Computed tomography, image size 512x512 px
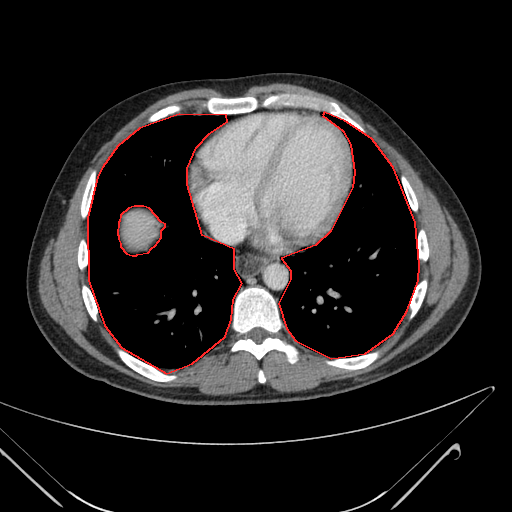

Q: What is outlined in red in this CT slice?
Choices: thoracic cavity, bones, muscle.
A: red: thoracic cavity.
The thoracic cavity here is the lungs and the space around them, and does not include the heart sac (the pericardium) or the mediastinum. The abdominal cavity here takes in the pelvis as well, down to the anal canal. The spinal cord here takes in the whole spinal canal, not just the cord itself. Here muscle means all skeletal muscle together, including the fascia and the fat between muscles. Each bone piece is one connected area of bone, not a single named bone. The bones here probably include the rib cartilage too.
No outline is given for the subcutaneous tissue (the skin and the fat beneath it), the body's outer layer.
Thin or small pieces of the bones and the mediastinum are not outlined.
thoracic cavity 1: (166, 373) (192, 363) (225, 336) (231, 319) (233, 299) (242, 283) (234, 269) (234, 249) (202, 235) (187, 184) (187, 168) (196, 147) (209, 133) (227, 121) (226, 115) (179, 114) (139, 128) (117, 146) (102, 167) (97, 176) (87, 218) (88, 280) (104, 325) (121, 347), around a hole outlined by (132, 255) (136, 255) (137, 254) (148, 252) (151, 248) (155, 245) (161, 237) (161, 230) (165, 226) (165, 224) (161, 222) (149, 208) (143, 206) (134, 206) (128, 208) (120, 215) (119, 221) (118, 222) (117, 234) (118, 235) (118, 239) (120, 243) (120, 246) (126, 253)
thoracic cavity 2: (331, 358) (365, 353) (393, 333) (407, 310) (418, 280) (419, 265) (415, 222) (393, 167) (371, 138) (345, 121) (324, 112) (322, 115) (342, 130) (350, 144) (354, 172) (352, 187) (330, 231) (315, 245) (281, 258) (290, 270) (290, 279) (278, 303) (286, 328) (295, 340)
abdominal cavity: (132, 255) (136, 255) (137, 254) (148, 252) (151, 248) (155, 245) (161, 237) (161, 230) (165, 226) (165, 224) (161, 222) (149, 208) (143, 206) (134, 206) (128, 208) (120, 215) (119, 221) (118, 222) (117, 234) (118, 235) (118, 239) (120, 243) (120, 246) (126, 253)
spinal cord: (257, 343) (260, 343) (265, 337) (267, 336) (269, 336) (269, 334) (267, 332) (267, 331) (266, 331) (264, 329) (260, 327) (256, 327) (255, 328) (253, 328) (251, 330) (250, 330) (245, 335) (244, 335) (244, 337) (248, 337) (249, 338) (251, 338) (255, 342)
bones 1: (290, 363) (298, 360) (298, 350) (294, 345) (277, 336) (277, 333) (285, 326) (275, 298) (269, 291) (260, 286) (250, 286) (239, 290) (234, 299) (230, 323) (230, 328) (238, 334) (238, 338) (232, 344) (230, 350) (246, 350) (260, 360) (268, 351) (276, 349) (284, 352); inner edge: (257, 343) (260, 343) (265, 337) (267, 336) (269, 336) (269, 334) (267, 332) (267, 331) (266, 331) (264, 329) (260, 327) (256, 327) (255, 328) (253, 328) (251, 330) (250, 330) (245, 335) (244, 335) (244, 337) (248, 337) (249, 338) (251, 338) (255, 342)
bones 2: (364, 133) (364, 128) (344, 112) (336, 102) (329, 101) (320, 97) (302, 95) (297, 93) (279, 93) (271, 94) (261, 101) (253, 95) (235, 97) (211, 96) (207, 100) (207, 111) (211, 114) (216, 115) (249, 112) (260, 106) (292, 106) (323, 110) (345, 120)
bones 3: (156, 381) (171, 381) (176, 378) (176, 375) (174, 375) (173, 374) (172, 375) (166, 374) (160, 370) (157, 369) (155, 367) (134, 357) (119, 346) (116, 346) (115, 349) (116, 350) (117, 354) (121, 360) (126, 365) (135, 371) (138, 372) (140, 374)
bones 4: (349, 370) (359, 369) (369, 365) (379, 357) (381, 354) (381, 350) (380, 349) (375, 349) (365, 354) (355, 356) (354, 357) (349, 357) (348, 358) (334, 358) (333, 359) (330, 359) (329, 360) (328, 359) (326, 360) (326, 363) (329, 365) (332, 365) (337, 367) (341, 367)
bones 5: (409, 318) (412, 318) (417, 313) (423, 301) (423, 299) (425, 295) (425, 292) (427, 288) (427, 279) (425, 277) (422, 278) (418, 281) (413, 291) (413, 293) (411, 296) (411, 298) (409, 302) (409, 307) (408, 308) (408, 309) (410, 311)
bones 6: (83, 219) (85, 219) (87, 217) (87, 214) (89, 210) (89, 206) (91, 202) (91, 198) (95, 187) (95, 182) (96, 181) (96, 176) (97, 175) (97, 171) (95, 169) (92, 170) (88, 178) (82, 196) (82, 200) (80, 206) (80, 211) (81, 212) (81, 216)
bones 7: (94, 321) (96, 321) (99, 317) (98, 315) (98, 310) (97, 309) (97, 306) (95, 303) (95, 300) (93, 297) (93, 295) (88, 285) (84, 283) (82, 283) (82, 285) (81, 286) (81, 293) (82, 294) (82, 297) (83, 298) (85, 306) (87, 309) (87, 311) (91, 318)
bones 8: (423, 261) (426, 261) (427, 260) (427, 259) (429, 256) (429, 247) (428, 246) (428, 241) (427, 240) (427, 237) (426, 236) (426, 233) (425, 232) (425, 230) (423, 228) (420, 228) (418, 230) (418, 232) (417, 233) (417, 257) (419, 260) (422, 260)
bones 9: (413, 212) (416, 212) (418, 209) (418, 202) (417, 201) (417, 198) (415, 195) (415, 193) (409, 181) (406, 178) (406, 177) (402, 174) (400, 176) (400, 180) (403, 186) (403, 189) (405, 192) (405, 194) (406, 195) (407, 200) (409, 203) (409, 205)
bones 10: (147, 123) (149, 122) (152, 122) (156, 120) (158, 120) (161, 118) (164, 118) (170, 115) (175, 115) (176, 114) (178, 114) (181, 110) (181, 107) (177, 104) (173, 104) (172, 105) (169, 105) (163, 108) (161, 108) (159, 110) (156, 111) (149, 116) (147, 120)
bones 11: (81, 270) (83, 270) (84, 269) (85, 269) (86, 268) (86, 267) (87, 266) (87, 244) (86, 243) (86, 240) (84, 238) (82, 238) (79, 241) (79, 244) (78, 245) (78, 250) (77, 251) (77, 262) (78, 263) (78, 266) (79, 267) (79, 268)
pericardium: (269, 255) (292, 254) (319, 241) (333, 225) (349, 193) (353, 177) (352, 158) (349, 144) (341, 130) (333, 122) (321, 114) (306, 110) (258, 111) (250, 112) (234, 118) (220, 126) (198, 146) (188, 168) (188, 184) (197, 212) (197, 219) (202, 231) (212, 240) (245, 250)
mediastinum: (278, 301) (279, 296) (287, 284) (289, 279) (289, 270) (280, 259) (280, 258) (283, 256) (269, 256) (268, 255) (249, 252) (233, 247) (235, 249) (235, 269) (238, 274) (242, 278) (243, 281) (243, 283) (240, 289) (250, 285) (260, 285) (265, 287) (269, 290)
muscle: (212, 395) (250, 389) (258, 383) (260, 368) (267, 378) (265, 384) (279, 392) (306, 390) (374, 369) (427, 332) (467, 279) (465, 241) (435, 193) (371, 124) (324, 93) (276, 82) (253, 86) (242, 95) (253, 94) (261, 100) (271, 93) (297, 92) (336, 101) (365, 128) (416, 193) (416, 226) (426, 230) (430, 247) (428, 260) (419, 261) (419, 279) (425, 276) (428, 288) (418, 313) (409, 319) (407, 311) (394, 333) (376, 348) (382, 354) (369, 366) (352, 371) (329, 366) (325, 360) (330, 358) (299, 345) (285, 328) (278, 336) (297, 347) (299, 360) (290, 364) (284, 353) (272, 350) (258, 361) (246, 351) (229, 350) (237, 338) (229, 329) (210, 352) (167, 372) (176, 374) (176, 379) (156, 382) (126, 366) (100, 318) (94, 322) (88, 315) (80, 293) (81, 283) (88, 284) (87, 274) (77, 266) (76, 251) (78, 241) (87, 237) (79, 206) (91, 170) (98, 173) (116, 146) (161, 107) (177, 103) (180, 113) (208, 113) (206, 100) (211, 95) (227, 96) (211, 88) (183, 90) (158, 100) (106, 141) (82, 174) (46, 245) (39, 270) (40, 298) (78, 345) (146, 383) (197, 387)
torso: (194, 406) (314, 400) (374, 384) (438, 351) (456, 333) (472, 307) (482, 263) (476, 234) (460, 199) (398, 123) (345, 83) (307, 73) (265, 72) (150, 87) (115, 103) (92, 121) (49, 190) (31, 241) (25, 279) (28, 306) (44, 338) (68, 365) (89, 378) (146, 398)